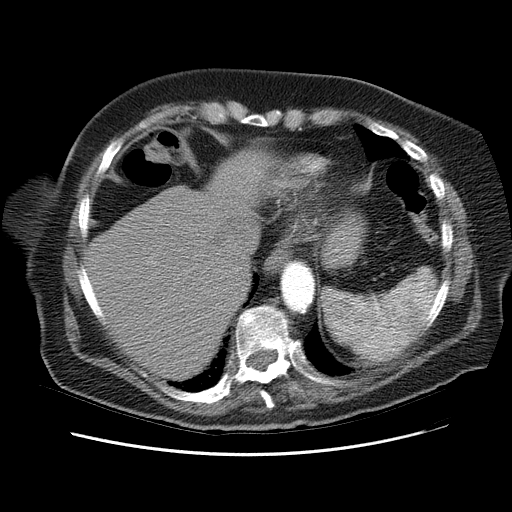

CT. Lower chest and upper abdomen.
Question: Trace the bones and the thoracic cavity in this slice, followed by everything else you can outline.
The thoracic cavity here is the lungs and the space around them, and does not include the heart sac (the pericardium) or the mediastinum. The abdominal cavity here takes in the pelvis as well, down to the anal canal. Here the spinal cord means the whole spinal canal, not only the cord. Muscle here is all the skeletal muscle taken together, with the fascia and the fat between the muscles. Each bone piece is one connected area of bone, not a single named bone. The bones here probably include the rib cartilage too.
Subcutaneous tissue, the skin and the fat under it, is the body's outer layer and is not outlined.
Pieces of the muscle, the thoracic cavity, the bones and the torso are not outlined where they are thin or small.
Answer: Outlines (x, y in pixels):
bones 1: 262,305 283,314 287,337 300,343 306,359 317,370 350,384 316,382 291,365 287,376 278,376 268,383 234,381 228,395 211,403 176,399 156,385 160,382 189,392 215,385 234,348 238,317 246,309; inner edge: 262,350 275,350 276,351 276,356 275,357 274,360 273,361 270,362 265,367 265,368 263,370 261,370 260,369 258,369 251,365 247,365 247,363 246,362 247,361 248,358 251,355 252,355 259,351 261,351
bones 2: 229,101 238,102 248,113 298,109 307,115 320,110 340,110 345,114 341,120 329,125 313,124 306,119 301,129 284,127 281,122 273,126 256,126 231,118 226,123 214,124 203,118 201,106 208,102 225,104
bones 3: 367,118 369,118 373,121 375,121 381,125 393,130 399,136 400,140 407,139 419,146 426,153 428,157 427,160 425,162 420,162 412,158 402,148 397,140 387,136 382,136 376,134 368,129 364,125 365,120
bones 4: 80,264 82,264 85,268 87,277 89,280 89,282 91,284 92,289 95,294 95,297 97,299 98,304 101,308 104,316 104,319 107,322 106,324 103,324 96,317 84,296 77,273 77,271 80,267
bones 5: 184,105 190,106 191,109 184,113 181,114 178,113 171,117 168,117 167,122 159,125 153,124 151,126 148,126 146,128 139,130 136,129 141,120 147,118 152,114 168,108 171,108 174,106 183,106
bones 6: 447,278 449,279 450,283 449,284 449,288 448,289 448,292 447,293 444,304 440,310 438,315 432,322 431,325 426,329 424,329 424,320 428,314 430,307 433,303 434,298 436,295 436,291 440,287 441,283
bones 7: 117,138 121,138 123,140 123,143 121,147 115,154 115,155 114,155 110,160 110,162 111,163 106,171 103,174 96,177 95,176 95,174 101,162 101,160 103,156 103,153 105,149 112,140 116,139
bones 8: 85,194 88,194 90,198 90,211 89,212 89,221 88,222 88,233 87,234 87,238 86,239 83,239 82,235 81,234 81,231 80,230 80,228 78,225 78,210 79,209 79,203 80,202 80,200 81,198
bones 9: 432,172 436,172 441,177 441,178 443,181 443,184 444,185 444,188 445,189 445,195 442,199 440,199 439,200 438,200 434,195 434,193 433,192 432,189 430,187 430,183 428,180 428,177 429,176 429,175
bones 10: 444,219 446,219 452,225 452,229 453,230 453,237 452,238 452,242 451,243 451,247 450,248 450,249 447,252 444,252 444,250 443,249 443,247 442,246 442,236 441,235 441,225 442,224 442,221
bones 11: 262,389 263,390 265,390 271,396 271,397 272,398 272,400 274,403 274,406 272,408 268,408 266,406 266,404 265,403 265,401 263,399 263,398 261,396 261,395 259,392 260,391 260,390 261,390
thoracic cavity 1: 315,321 317,324 317,329 319,332 319,336 323,346 336,361 344,366 353,368 355,370 367,370 362,371 360,373 352,373 342,375 330,375 317,369 307,359 302,348 303,340 305,336 312,328 312,326
thoracic cavity 2: 354,123 358,123 364,126 368,130 376,135 382,137 387,137 394,140 399,144 401,148 412,159 419,162 419,164 411,160 398,156 386,156 380,159 377,159 375,161 371,161 368,159 363,144 358,134 354,129
thoracic cavity 3: 222,348 226,348 227,350 230,350 226,357 226,361 224,366 225,369 216,383 212,386 198,391 189,391 175,387 168,384 166,382 169,381 170,382 181,383 189,380 207,370 210,367 212,361 218,355 220,350
thoracic cavity 4: 254,274 257,274 259,277 259,280 258,281 258,285 257,286 257,288 254,294 249,301 249,303 247,307 244,307 244,305 245,303 249,299 249,295 252,290 252,287 253,286 253,283 254,282 254,280 253,279
pericardium: 251,136 302,136 325,139 341,148 349,156 353,165 358,170 358,178 345,193 341,195 331,224 317,241 302,245 300,248 296,245 288,248 284,246 282,241 270,233 257,217 238,200 240,194 256,172 256,156
spinal cord: 262,350 275,350 276,351 276,356 275,357 274,360 273,361 270,362 265,367 265,368 263,370 261,370 260,369 258,369 251,365 247,365 247,363 246,362 247,361 248,358 251,355 252,355 259,351 261,351
mediastinum 1: 261,224 288,249 317,243 317,321 314,321 301,344 288,337 287,320 281,311 265,304 252,306 237,317 233,344 231,349 227,349 225,335 239,310 248,307 259,285 260,277 253,273 252,266 265,232
mediastinum 2: 183,121 208,122 214,125 236,121 256,127 279,125 290,130 301,130 304,126 329,126 339,122 351,122 367,159 373,162 362,175 359,175 359,170 350,156 336,143 325,138 230,133 199,123 169,127 162,124
muscle: 210,98 233,99 258,112 270,110 248,112 235,100 208,101 199,110 206,121 175,122 168,118 190,111 190,105 156,111 139,121 135,129 143,130 122,147 121,137 109,142 94,174 105,175 91,202 85,193 78,203 77,225 86,240 84,262 76,271 80,288 95,317 143,368 133,367 142,377 149,372 165,382 154,383 173,399 206,404 228,396 234,382 268,384 287,377 291,366 316,383 348,386 351,382 334,376 360,374 395,360 443,308 451,283 448,277 441,281 444,253 452,247 454,230 440,217 438,201 446,195 442,177 436,171 427,177 420,165 428,160 427,153 369,117 363,125 340,121 346,114 340,109 307,114 298,108 283,111 279,109 286,106 357,110 409,131 439,159 470,223 482,301 475,330 419,367 356,398 259,414 238,409 218,416 179,412 76,356 65,335 61,287 65,235 81,176 105,144 146,111 164,103, around a hole outlined by 262,389 263,390 265,390 271,396 271,397 272,398 272,400 274,403 274,406 272,408 268,408 266,406 266,404 265,403 265,401 263,399 263,398 261,396 261,395 259,392 260,391 260,390 261,390
abdominal cavity 1: 188,124 250,136 255,156 255,172 237,200 256,217 264,232 253,255 253,282 248,299 225,333 224,347 207,369 178,382 164,381 147,371 116,342 88,277 84,254 91,203 114,156 148,127 181,128
abdominal cavity 2: 386,157 402,158 421,166 437,200 444,261 441,282 423,320 423,327 413,343 395,359 383,365 371,369 355,369 336,360 326,349 320,336 317,323 319,249 316,244 332,224 342,195 359,176 365,173 372,163
torso: 208,66 352,77 479,131 501,183 511,239 503,320 484,368 387,409 323,427 265,433 202,433 141,419 72,395 52,379 39,353 24,260 4,241 9,191 45,166 57,175 82,127 124,90 164,73